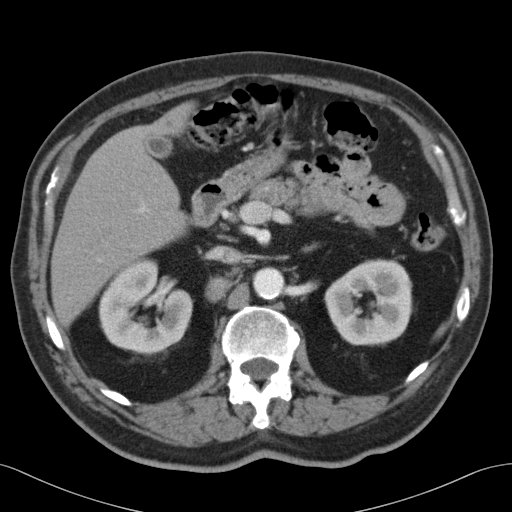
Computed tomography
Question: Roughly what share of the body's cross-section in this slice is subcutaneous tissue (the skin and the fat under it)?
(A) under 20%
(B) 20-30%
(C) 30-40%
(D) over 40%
Answer: (A) under 20%
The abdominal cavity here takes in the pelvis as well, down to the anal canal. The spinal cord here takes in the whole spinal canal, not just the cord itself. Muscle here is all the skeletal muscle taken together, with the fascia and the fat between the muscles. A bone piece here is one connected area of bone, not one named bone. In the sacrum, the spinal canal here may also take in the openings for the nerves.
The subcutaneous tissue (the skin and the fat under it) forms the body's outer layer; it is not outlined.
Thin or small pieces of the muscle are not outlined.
The muscle is outlined by 250,72 295,73 352,83 394,97 440,129 462,159 474,204 481,246 479,291 461,333 409,398 359,425 326,435 298,436 266,428 270,424 267,409 271,399 288,402 293,396 291,364 301,339 295,324 303,332 315,375 344,394 380,394 403,380 408,384 425,371 432,340 451,315 464,271 456,227 466,222 467,211 456,187 448,179 447,198 426,159 421,140 389,108 270,77 239,77 105,121 73,156 54,206 54,216 52,190 60,179 61,165 53,167 44,188 43,227 51,233 45,281 53,314 53,317 45,314 45,324 55,347 62,351 66,348 63,337 83,370 107,386 99,388 103,395 130,407 133,402 152,404 169,399 195,385 210,364 215,323 224,317 220,348 229,366 225,382 227,398 233,405 250,403 255,411 251,424 258,429 209,446 172,445 91,411 69,392 56,372 36,320 28,285 33,179 58,141 118,103 189,80 with holes at 463,286 467,286 469,288 469,311 468,312 468,314 466,316 464,320 460,322 458,320 457,318 457,316 456,315 456,302 457,301 457,299 458,297 460,295 460,293 461,292 461,289 and at 432,144 437,144 441,148 442,148 442,149 444,152 444,157 445,158 445,159 447,162 447,164 448,165 448,168 447,169 445,169 444,170 443,170 443,169 442,168 438,159 433,153 433,150 431,147 431,145. The bones appear in 8 outlined pieces: piece 1: 246,305 265,306 282,313 296,326 300,338 290,364 292,396 288,401 280,397 270,399 266,409 269,424 265,428 257,428 252,424 256,411 250,402 233,404 228,398 226,382 230,366 222,352 221,336 229,318; inner edge: 260,357 274,362 277,365 277,369 267,378 267,380 266,381 264,381 263,382 254,382 252,381 251,377 248,374 244,373 242,371 241,369 241,365 243,363 249,360 251,360 255,358 259,358; piece 2: 57,164 59,164 60,165 60,171 59,172 59,179 55,187 51,190 52,195 53,196 53,228 52,229 52,231 51,232 49,232 46,230 44,227 44,216 45,215 44,201 46,198 45,188 50,179 51,172; piece 3: 449,179 451,180 453,185 457,191 458,197 459,198 459,200 462,207 466,211 466,219 465,220 465,222 463,224 459,225 458,226 456,226 452,222 452,219 450,217 450,215 447,211 447,209 448,208 448,181; piece 4: 463,286 467,286 469,288 469,311 468,312 468,314 466,316 464,320 460,322 458,320 457,318 457,316 456,315 456,302 457,301 457,299 458,297 460,295 460,293 461,292 461,289; piece 5: 46,314 49,314 54,319 57,325 57,327 59,330 59,332 61,335 61,337 62,338 62,340 65,347 65,348 63,350 59,349 57,347 56,347 56,346 53,343 49,335 48,328 46,324 46,319 45,318; piece 6: 102,387 103,388 109,388 110,389 112,389 122,394 128,399 129,399 132,402 132,404 130,406 127,406 126,405 123,405 122,404 120,404 116,402 114,400 109,398 107,396 103,394 100,391 100,388; piece 7: 424,360 428,360 429,362 428,363 428,365 427,367 424,370 423,372 422,372 414,379 413,379 411,381 410,381 406,384 404,382 404,380 407,376 407,375 418,364 419,364 422,361; piece 8: 432,144 437,144 441,148 442,148 442,149 444,152 444,157 445,158 445,159 447,162 447,164 448,165 448,168 447,169 445,169 444,170 443,170 443,169 442,168 438,159 433,153 433,150 431,147 431,145. The torso is outlined by 242,50 355,64 405,83 454,130 472,162 487,206 492,292 473,355 421,431 395,449 344,467 262,458 229,471 199,473 122,457 61,408 35,370 18,327 10,257 24,178 52,128 90,94 130,72 174,59. The spinal cord is outlined by 260,357 274,362 277,365 277,369 267,378 267,380 266,381 264,381 263,382 254,382 252,381 251,377 248,374 244,373 242,371 241,369 241,365 243,363 249,360 251,360 255,358 259,358. The abdominal cavity is outlined by 244,77 389,109 418,137 443,187 461,244 461,281 426,358 386,391 347,394 323,382 302,328 265,305 246,304 226,322 220,316 202,377 152,403 132,401 88,374 62,337 46,272 55,206 78,150 122,114.